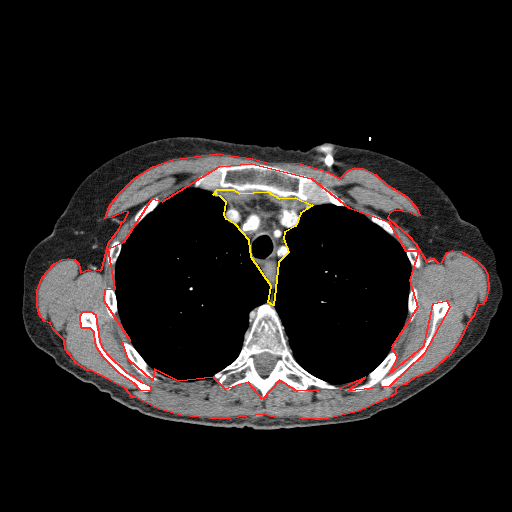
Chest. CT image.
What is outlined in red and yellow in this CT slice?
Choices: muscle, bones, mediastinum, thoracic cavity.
red: muscle; yellow: mediastinum.
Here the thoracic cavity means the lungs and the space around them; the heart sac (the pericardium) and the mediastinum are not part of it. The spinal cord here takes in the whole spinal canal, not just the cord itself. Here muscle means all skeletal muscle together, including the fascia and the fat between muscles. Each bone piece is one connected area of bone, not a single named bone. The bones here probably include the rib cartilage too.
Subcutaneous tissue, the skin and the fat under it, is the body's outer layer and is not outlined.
{"muscle":[{"outer":[[216,153],[252,158],[266,162],[300,163],[326,171],[340,178],[348,170],[354,167],[363,168],[375,174],[386,184],[406,196],[416,207],[419,215],[417,216],[409,212],[395,210],[389,213],[387,217],[408,235],[415,243],[426,261],[430,258],[433,258],[437,262],[441,263],[447,252],[452,250],[461,251],[476,260],[484,268],[487,275],[488,288],[485,300],[482,304],[477,305],[473,316],[467,323],[460,339],[450,354],[430,371],[413,378],[405,384],[398,386],[395,389],[395,393],[391,396],[358,411],[324,419],[274,417],[263,414],[230,418],[209,418],[180,415],[159,409],[135,397],[132,397],[125,388],[92,371],[87,370],[76,363],[65,349],[64,340],[53,329],[50,323],[44,321],[39,314],[37,305],[37,290],[42,277],[54,263],[61,259],[68,258],[74,259],[78,263],[80,272],[88,269],[93,271],[98,269],[100,270],[102,268],[108,243],[119,228],[121,224],[120,221],[123,221],[125,219],[128,212],[125,211],[112,217],[105,218],[109,206],[117,195],[134,178],[153,166],[172,159]],"holes":[[[251,163],[311,178],[348,207],[388,221],[405,250],[418,250],[409,280],[417,307],[391,347],[397,357],[388,374],[424,345],[433,303],[446,300],[449,307],[423,354],[389,386],[347,391],[365,377],[339,389],[297,391],[279,380],[262,399],[248,382],[225,389],[213,377],[178,381],[154,369],[152,380],[128,359],[122,341],[130,340],[104,301],[105,289],[115,288],[108,248],[124,241],[152,198],[162,201],[219,166]],[[83,311],[90,311],[95,314],[99,341],[101,346],[107,354],[126,372],[129,373],[140,381],[149,385],[150,386],[150,390],[149,391],[140,390],[134,383],[119,373],[103,357],[97,348],[95,342],[94,332],[90,328],[82,328],[81,327],[80,315]]]}],"mediastinum":[[[217,189],[233,189],[239,193],[267,191],[279,198],[295,197],[312,205],[300,213],[295,226],[284,232],[283,238],[288,252],[278,262],[273,305],[268,302],[271,286],[251,257],[249,240],[235,224],[226,219],[224,214],[226,202],[220,196],[213,194]]],"bones":[{"outer":[[265,303],[274,307],[296,362],[312,375],[336,385],[339,389],[310,385],[305,391],[297,391],[279,380],[262,399],[260,391],[248,382],[236,384],[229,389],[222,388],[219,385],[213,377],[214,374],[238,356],[243,346],[245,333],[250,326],[250,312]],"hole":[[262,353],[268,353],[271,355],[273,355],[276,358],[275,360],[275,363],[274,364],[274,366],[273,368],[268,374],[268,375],[265,377],[263,377],[261,376],[258,373],[255,367],[255,357],[254,356],[255,355],[258,355]]},[[251,163],[272,165],[305,175],[311,178],[318,186],[323,186],[335,193],[344,200],[346,206],[337,206],[331,203],[313,205],[295,196],[279,197],[277,194],[267,190],[239,192],[233,188],[217,188],[212,192],[192,187],[190,186],[201,175],[219,166]],[[439,300],[448,302],[448,311],[436,322],[426,350],[410,367],[389,386],[383,387],[380,383],[376,383],[359,391],[346,390],[364,383],[368,374],[390,351],[396,351],[397,357],[388,372],[389,375],[403,367],[417,354],[430,333],[434,314],[433,303]],[[83,311],[90,311],[95,314],[99,341],[101,346],[107,354],[126,372],[129,373],[140,381],[149,385],[150,386],[150,390],[149,391],[140,390],[134,383],[119,373],[103,357],[97,348],[95,342],[94,332],[90,328],[82,328],[81,327],[80,315]],[[124,339],[133,346],[133,347],[137,351],[141,357],[146,362],[148,365],[148,367],[151,369],[152,372],[158,379],[158,380],[156,381],[155,380],[152,380],[140,374],[134,368],[123,350],[123,348],[122,347],[122,341]],[[156,196],[157,196],[160,199],[160,200],[161,201],[157,205],[157,206],[152,211],[151,211],[149,213],[148,213],[137,224],[135,224],[134,223],[133,223],[133,217],[134,216],[134,215],[136,213],[136,212],[144,204],[145,204],[152,198],[153,198]],[[109,286],[110,287],[111,287],[114,290],[114,292],[115,293],[115,297],[116,298],[116,301],[117,302],[117,313],[114,317],[111,317],[109,315],[109,314],[106,309],[106,306],[105,305],[105,302],[104,301],[104,293],[105,292],[105,289]],[[117,238],[118,238],[118,239],[121,242],[121,249],[120,250],[120,252],[119,253],[119,255],[117,257],[117,259],[115,262],[115,265],[114,266],[114,267],[112,267],[108,263],[108,262],[107,261],[107,250],[108,249],[108,248],[111,245],[111,244]],[[370,212],[373,212],[379,215],[381,217],[382,217],[384,219],[388,221],[392,225],[393,227],[393,229],[394,230],[394,233],[392,235],[392,236],[386,231],[385,231],[377,224],[374,223],[369,219],[368,216]],[[412,287],[415,287],[417,289],[417,307],[416,308],[416,309],[415,310],[415,313],[414,314],[414,317],[413,318],[413,319],[411,321],[409,321],[409,320],[408,319],[409,318],[409,314],[408,313],[408,297],[409,296],[409,292],[410,291],[410,289]],[[411,244],[412,245],[413,245],[416,247],[416,248],[418,250],[418,252],[419,253],[419,260],[420,261],[420,264],[418,267],[413,267],[412,266],[411,266],[411,264],[409,261],[409,259],[408,258],[408,257],[407,256],[407,254],[406,253],[406,249]]],"torso":[[[175,136],[303,151],[330,142],[377,151],[419,169],[464,220],[479,228],[494,252],[503,295],[484,337],[450,371],[397,406],[363,420],[309,427],[214,427],[159,419],[63,370],[34,345],[24,327],[26,258],[50,234],[75,189],[94,169],[130,148]]],"spinal_cord":[[[262,353],[268,353],[271,355],[273,355],[276,358],[275,360],[275,363],[274,364],[274,366],[273,368],[268,374],[268,375],[265,377],[263,377],[261,376],[258,373],[255,367],[255,357],[254,356],[255,355],[258,355]]],"thoracic_cavity":[[[188,187],[209,191],[225,202],[225,219],[247,238],[250,257],[268,282],[270,295],[267,302],[249,312],[249,326],[244,333],[242,346],[230,363],[212,377],[178,381],[150,368],[130,342],[118,314],[114,289],[115,266],[122,243],[131,230],[164,199]],[[325,204],[337,207],[347,206],[363,214],[397,240],[405,250],[411,267],[407,315],[391,349],[366,377],[349,383],[330,383],[312,374],[297,362],[288,343],[284,326],[274,306],[279,262],[289,252],[284,238],[285,232],[299,223],[300,215],[304,210]]]}